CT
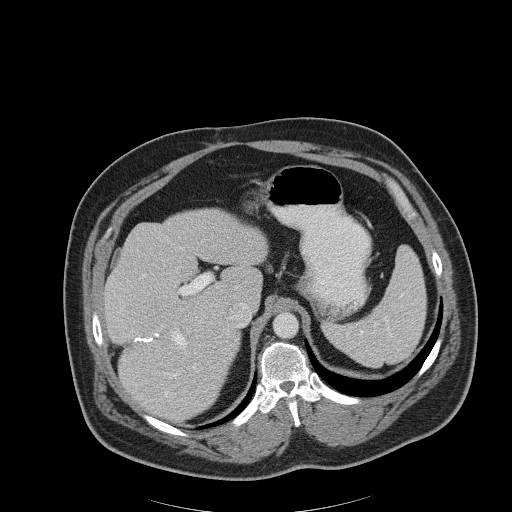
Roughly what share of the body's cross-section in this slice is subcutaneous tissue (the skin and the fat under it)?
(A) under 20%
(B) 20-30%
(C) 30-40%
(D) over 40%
(B) 20-30%
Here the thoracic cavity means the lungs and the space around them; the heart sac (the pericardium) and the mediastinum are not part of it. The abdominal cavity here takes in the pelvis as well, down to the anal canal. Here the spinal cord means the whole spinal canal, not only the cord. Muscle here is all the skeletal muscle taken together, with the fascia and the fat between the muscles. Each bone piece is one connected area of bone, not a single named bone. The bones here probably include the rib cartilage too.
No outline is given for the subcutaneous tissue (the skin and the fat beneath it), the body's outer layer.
bones 1: 275 341; 297 345; 307 355; 308 365; 323 382; 342 394; 361 398; 361 403; 341 404; 323 396; 312 402; 298 395; 300 424; 297 427; 283 398; 268 412; 257 410; 244 423; 238 426; 231 424; 230 421; 254 395; 261 377; 262 351 with a hole at 288 381; 291 381; 292 382; 293 382; 294 383; 294 384; 293 385; 293 387; 288 392; 287 392; 286 391; 285 391; 284 390; 283 390; 280 387; 280 384; 281 384; 282 383; 283 383; 284 382; 287 382
bones 2: 384 176; 391 176; 398 182; 398 183; 406 194; 409 201; 417 212; 417 215; 414 218; 412 219; 408 219; 406 217; 406 214; 404 213; 402 208; 396 200; 396 198; 394 196; 392 192; 386 185; 384 181
bones 3: 143 414; 147 414; 154 418; 156 418; 163 422; 165 422; 174 427; 179 428; 182 431; 185 432; 188 435; 188 436; 180 436; 179 435; 174 435; 173 434; 170 434; 169 433; 167 433; 166 432; 161 431; 157 428; 152 426; 142 416
bones 4: 438 337; 440 337; 441 338; 441 343; 440 344; 439 351; 437 354; 437 356; 436 358; 434 360; 433 363; 430 366; 429 368; 428 368; 419 377; 415 377; 415 375; 420 369; 425 359; 427 357; 430 351; 432 349
bones 5: 94 312; 96 312; 98 315; 98 318; 99 319; 99 323; 100 324; 100 327; 101 328; 101 333; 102 334; 102 338; 103 339; 103 345; 101 346; 98 346; 97 345; 94 339; 94 337; 93 336; 93 332; 92 331; 92 315
bones 6: 433 249; 434 249; 437 252; 438 255; 440 257; 440 259; 441 260; 441 264; 442 265; 442 272; 441 273; 441 275; 437 278; 435 275; 435 273; 434 272; 434 270; 433 269; 433 265; 432 264; 432 260; 431 259; 431 252
bones 7: 113 223; 113 225; 114 226; 114 227; 113 228; 113 231; 112 232; 112 233; 111 234; 110 237; 109 238; 108 238; 105 240; 103 238; 103 237; 104 236; 104 234; 105 233; 105 232; 106 231; 107 228; 110 225; 111 225
torso: 292 117; 343 120; 385 135; 415 164; 452 216; 469 258; 477 297; 475 363; 463 403; 436 432; 372 460; 341 469; 301 468; 265 479; 241 481; 186 475; 131 460; 106 448; 83 417; 64 330; 65 254; 81 197; 110 163; 160 135
muscle: 273 139; 310 142; 359 152; 387 163; 401 172; 414 185; 436 222; 451 260; 452 285; 456 294; 460 320; 460 347; 453 363; 439 382; 387 428; 370 439; 351 446; 331 447; 313 440; 303 431; 297 431; 278 456; 265 457; 252 463; 213 461; 180 452; 177 448; 158 442; 109 419; 97 407; 93 398; 94 362; 86 342; 83 325; 81 279; 83 253; 99 214; 119 194; 163 165; 218 142 with holes at 236 145; 378 180; 394 178; 417 212; 408 221; 441 260; 441 343; 419 377; 361 403; 298 395; 297 427; 281 398; 238 426; 229 420; 174 435; 152 426; 124 393; 106 347; 94 339; 92 315; 100 313; 110 251; 129 212; 188 165 and at 113 223; 113 225; 114 226; 114 227; 113 228; 113 231; 112 232; 112 233; 111 234; 110 237; 109 238; 108 238; 105 240; 103 238; 103 237; 104 236; 104 234; 105 233; 105 232; 106 231; 107 228; 110 225; 111 225
mediastinum: 282 308; 291 308; 297 311; 301 316; 303 323; 304 347; 306 353; 295 343; 283 340; 275 340; 271 342; 263 348; 259 355; 258 367; 260 377; 258 380; 257 373; 256 372; 255 373; 256 343; 260 337; 260 333; 266 320; 274 311
thoracic cavity 1: 440 299; 443 309; 438 336; 419 369; 409 380; 401 386; 389 392; 375 396; 360 397; 349 395; 331 387; 323 381; 309 365; 305 340; 317 361; 324 368; 342 376; 360 380; 381 380; 399 372; 418 355; 430 338; 436 323
thoracic cavity 2: 256 373; 257 382; 255 386; 253 395; 245 407; 240 412; 230 420; 219 425; 216 425; 204 429; 197 429; 197 428; 200 426; 203 426; 206 424; 209 424; 212 422; 219 420; 224 416; 229 414; 230 412; 242 401; 248 392; 254 374
abdominal cavity: 236 145; 383 180; 430 254; 437 315; 426 343; 405 367; 385 378; 360 379; 324 367; 304 337; 300 313; 276 309; 255 343; 254 373; 241 401; 219 419; 180 428; 144 413; 118 381; 98 314; 105 270; 118 228; 136 205; 188 165
spinal cord: 288 381; 291 381; 292 382; 293 382; 294 383; 294 384; 293 385; 293 387; 288 392; 287 392; 286 391; 285 391; 284 390; 283 390; 280 387; 280 384; 281 384; 282 383; 283 383; 284 382; 287 382